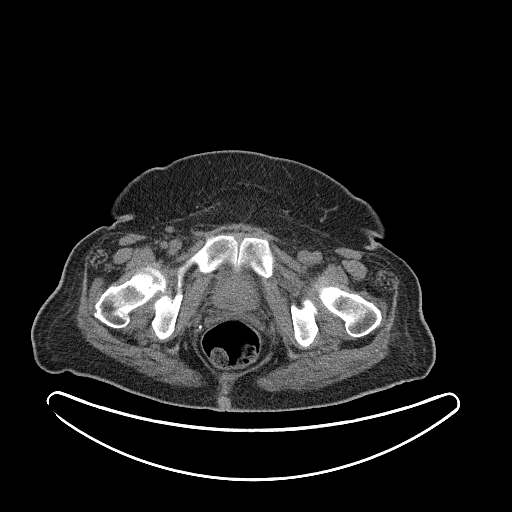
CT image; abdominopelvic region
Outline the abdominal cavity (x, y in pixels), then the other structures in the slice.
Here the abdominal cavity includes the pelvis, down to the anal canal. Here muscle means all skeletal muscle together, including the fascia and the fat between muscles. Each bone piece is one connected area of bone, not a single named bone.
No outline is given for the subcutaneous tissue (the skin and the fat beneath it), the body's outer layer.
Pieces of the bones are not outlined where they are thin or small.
The abdominal cavity is outlined by (223, 264) (229, 264) (237, 270) (242, 266) (247, 266) (260, 277) (261, 289) (272, 316) (273, 327) (271, 330) (271, 347) (268, 353) (255, 365) (240, 371) (217, 371) (201, 355) (194, 339) (194, 319) (199, 314) (198, 309) (204, 300) (207, 284) (211, 275) (210, 273). The muscle is outlined by (241, 222) (264, 228) (295, 248) (329, 252) (337, 247) (347, 247) (380, 257) (393, 265) (400, 278) (389, 354) (365, 371) (318, 389) (273, 392) (259, 388) (254, 381) (286, 361) (286, 348) (279, 341) (272, 348) (267, 364) (243, 375) (229, 392) (224, 389) (219, 395) (217, 382) (195, 354) (187, 333) (179, 352) (182, 359) (205, 377) (207, 383) (199, 387) (158, 381) (86, 342) (75, 316) (86, 253) (95, 240) (113, 232) (201, 236) (216, 225), around holes outlined by (219, 234) (231, 234) (238, 241) (244, 237) (266, 239) (274, 257) (272, 275) (260, 277) (272, 316) (271, 347) (255, 365) (220, 372) (201, 355) (194, 339) (194, 319) (211, 275) (199, 271) (194, 263) (183, 276) (181, 303) (174, 330) (167, 338) (159, 339) (151, 326) (153, 303) (159, 293) (134, 308) (122, 328) (110, 327) (94, 316) (95, 303) (109, 286) (123, 283) (148, 265) (165, 276) (165, 292) (172, 297) (177, 287) (176, 269) (208, 237) and by (316, 282) (324, 286) (328, 285) (337, 286) (347, 292) (356, 293) (368, 301) (372, 302) (381, 312) (381, 321) (379, 325) (368, 334) (361, 337) (353, 337) (349, 335) (346, 332) (344, 321) (337, 315) (330, 312) (321, 302) (318, 297) (318, 292) (314, 287) (314, 284) and by (305, 298) (309, 298) (311, 299) (317, 308) (317, 313) (315, 315) (315, 320) (318, 327) (318, 331) (313, 341) (305, 348) (300, 345) (297, 342) (294, 337) (293, 322) (291, 317) (291, 310) (290, 309) (290, 306) (292, 303) (294, 303) (300, 308) (302, 306) (302, 301). The bones appear in 3 outlined pieces: piece 1: (219, 234) (238, 241) (266, 239) (274, 257) (271, 276) (229, 263) (203, 273) (193, 263) (183, 276) (174, 330) (162, 340) (151, 326) (159, 293) (134, 308) (122, 328) (94, 316) (95, 303) (109, 286) (148, 265) (165, 276) (165, 292) (172, 297) (176, 269) (208, 237); piece 2: (316, 282) (324, 286) (328, 285) (337, 286) (347, 292) (356, 293) (368, 301) (372, 302) (381, 312) (381, 321) (379, 325) (368, 334) (361, 337) (353, 337) (349, 335) (346, 332) (344, 321) (337, 315) (330, 312) (321, 302) (318, 297) (318, 292) (314, 287) (314, 284); piece 3: (305, 298) (309, 298) (311, 299) (317, 308) (317, 313) (315, 315) (315, 320) (318, 327) (318, 331) (313, 341) (305, 348) (300, 345) (297, 342) (294, 337) (293, 322) (291, 317) (291, 310) (290, 309) (290, 306) (292, 303) (294, 303) (300, 308) (302, 306) (302, 301). The torso is outlined by (222, 149) (303, 162) (374, 208) (386, 230) (380, 242) (404, 259) (419, 281) (421, 310) (435, 345) (425, 377) (336, 405) (229, 412) (166, 404) (69, 371) (49, 373) (36, 364) (30, 336) (36, 314) (58, 285) (74, 245) (114, 221) (109, 210) (122, 188) (147, 169).